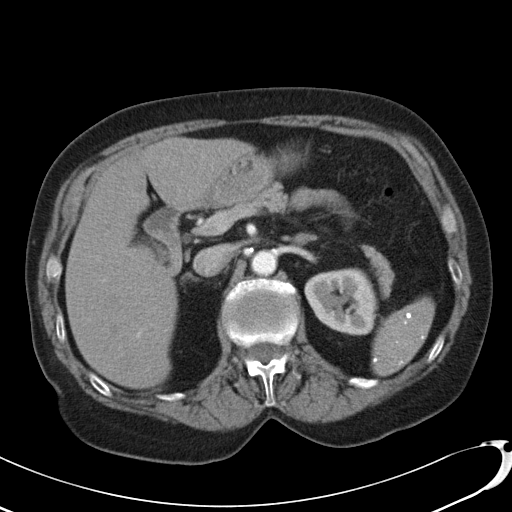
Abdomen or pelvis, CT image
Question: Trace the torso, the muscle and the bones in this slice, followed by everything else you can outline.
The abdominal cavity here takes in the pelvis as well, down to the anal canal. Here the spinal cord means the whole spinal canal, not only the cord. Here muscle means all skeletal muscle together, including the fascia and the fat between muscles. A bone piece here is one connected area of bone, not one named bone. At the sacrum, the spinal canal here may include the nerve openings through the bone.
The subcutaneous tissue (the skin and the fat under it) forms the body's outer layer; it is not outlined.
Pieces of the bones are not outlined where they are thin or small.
Answer: Outlines (x, y in pixels):
torso: 270 86; 383 96; 416 112; 443 140; 475 195; 491 251; 491 311; 471 377; 459 397; 438 414; 352 447; 318 444; 270 419; 233 456; 205 464; 164 464; 97 450; 62 421; 32 345; 24 264; 42 180; 70 141; 119 109; 190 93
muscle: 288 114; 330 114; 373 122; 413 135; 434 158; 463 217; 472 280; 467 309; 443 361; 381 403; 341 420; 304 422; 273 406; 274 376; 285 373; 287 362; 295 359; 286 348; 296 333; 302 351; 319 366; 349 378; 347 383; 357 388; 368 389; 379 380; 396 376; 430 349; 426 362; 432 362; 444 346; 445 337; 440 333; 454 306; 455 286; 458 288; 463 279; 456 260; 448 258; 445 234; 455 233; 458 224; 447 203; 442 206; 440 221; 431 198; 401 153; 379 137; 317 126; 243 122; 166 135; 110 162; 93 183; 60 261; 54 253; 48 256; 45 275; 48 282; 57 284; 56 302; 61 311; 55 315; 56 337; 63 342; 66 336; 73 354; 89 370; 90 384; 102 395; 113 395; 110 385; 134 398; 152 395; 169 402; 183 399; 186 396; 183 392; 222 370; 233 343; 247 374; 261 378; 264 404; 269 407; 243 427; 224 432; 206 431; 112 408; 85 393; 54 352; 37 295; 38 263; 62 183; 79 164; 140 131; 195 119; 235 120 with holes at 86 168; 92 168; 93 170; 84 178; 84 180; 83 181; 83 191; 80 198; 80 202; 77 205; 76 208; 71 214; 68 221; 65 225; 64 224; 64 221; 62 217; 62 205; 63 204; 64 199; 76 177; 78 176; 80 173 and at 404 140; 408 140; 410 142; 410 143; 416 149; 416 150; 418 152; 418 153; 428 164; 428 165; 426 167; 425 167; 423 165; 422 165; 419 162; 418 162; 418 161; 414 157; 414 156; 407 149; 407 148; 402 143; 402 142 and at 294 369; 295 370; 295 371; 297 373; 300 373; 301 374; 301 377; 300 378; 297 378; 296 377; 295 377; 293 375; 293 370
bones 1: 252 278; 289 282; 296 291; 294 294; 299 308; 296 331; 285 348; 294 359; 286 362; 285 372; 273 376; 272 406; 265 404; 262 378; 259 375; 248 374; 244 363; 235 352; 237 346; 228 336; 222 320; 222 305; 228 292; 238 282; inner edge: 265 342; 275 344; 276 345; 277 345; 280 348; 281 348; 281 355; 278 358; 272 358; 267 363; 263 363; 257 359; 252 359; 248 356; 248 352; 247 351; 247 350; 251 346; 252 346; 254 344; 256 344; 257 343; 264 343
bones 2: 86 168; 92 168; 93 170; 84 178; 84 180; 83 181; 83 191; 80 198; 80 202; 77 205; 76 208; 71 214; 68 221; 65 225; 64 224; 64 221; 62 217; 62 205; 63 204; 64 199; 76 177; 78 176; 80 173
bones 3: 51 254; 54 254; 57 257; 61 265; 61 272; 60 273; 60 275; 59 276; 59 279; 57 283; 55 283; 54 281; 48 281; 47 279; 47 276; 46 275; 46 263; 47 262; 47 260; 49 256
bones 4: 445 204; 447 204; 451 208; 453 212; 453 214; 455 217; 455 219; 456 220; 456 223; 457 224; 457 230; 453 233; 447 233; 445 231; 444 231; 442 227; 442 223; 441 222; 441 219; 442 218; 442 210; 443 209; 443 206
bones 5: 90 371; 94 374; 95 374; 100 379; 101 379; 106 384; 107 384; 107 385; 112 394; 112 395; 111 396; 107 396; 106 395; 104 395; 103 394; 102 394; 100 392; 99 392; 91 384; 91 383; 89 380; 89 376; 88 375; 88 374
bones 6: 356 376; 357 377; 364 377; 365 378; 373 378; 374 379; 377 379; 378 380; 378 383; 377 384; 376 384; 371 387; 369 387; 368 388; 362 388; 361 387; 357 387; 354 385; 350 385; 348 383; 348 380; 351 377; 355 377
bones 7: 450 258; 452 258; 455 260; 456 263; 459 266; 461 270; 461 272; 462 273; 462 279; 461 280; 461 283; 458 287; 457 287; 455 285; 452 279; 452 276; 450 273; 450 271; 448 267; 448 259
bones 8: 440 334; 441 334; 444 337; 444 343; 443 344; 443 346; 442 347; 441 350; 437 355; 437 356; 432 361; 431 361; 428 363; 427 362; 427 359; 428 358; 429 353; 431 350; 431 348; 433 346; 433 345; 436 341; 438 336
bones 9: 59 312; 61 312; 61 313; 62 314; 62 316; 63 317; 63 322; 64 323; 64 328; 65 329; 65 339; 63 341; 60 341; 58 339; 58 338; 57 337; 57 334; 56 333; 56 315; 57 314; 57 313; 58 313
bones 10: 404 140; 408 140; 410 142; 410 143; 416 149; 416 150; 418 152; 418 153; 428 164; 428 165; 426 167; 425 167; 423 165; 422 165; 419 162; 418 162; 418 161; 414 157; 414 156; 407 149; 407 148; 402 143; 402 142
spinal cord: 265 342; 275 344; 276 345; 277 345; 280 348; 281 348; 281 355; 278 358; 272 358; 267 363; 263 363; 257 359; 252 359; 248 356; 248 352; 247 351; 247 350; 251 346; 252 346; 254 344; 256 344; 257 343; 264 343
abdominal cavity: 243 123; 317 127; 379 138; 396 149; 447 241; 450 315; 432 346; 396 375; 343 377; 298 344; 295 287; 246 278; 221 305; 232 345; 218 373; 184 391; 127 395; 86 367; 66 335; 57 290; 70 233; 101 172; 125 153; 166 136